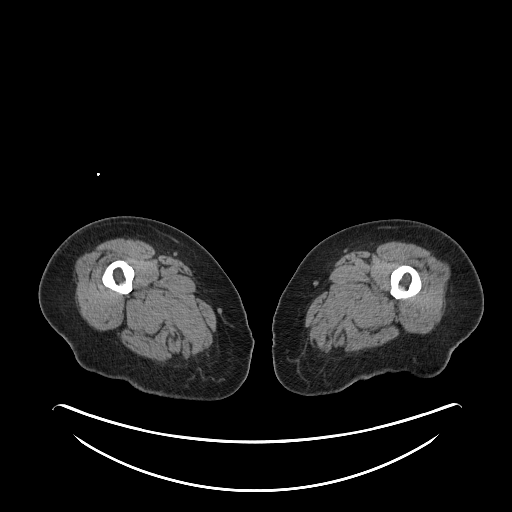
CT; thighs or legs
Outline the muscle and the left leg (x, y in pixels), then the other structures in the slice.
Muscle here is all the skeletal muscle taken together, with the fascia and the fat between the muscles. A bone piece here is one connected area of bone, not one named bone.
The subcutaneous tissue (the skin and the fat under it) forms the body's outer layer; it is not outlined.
{"muscle":[{"outer":[[116,237],[142,240],[181,260],[195,274],[204,287],[210,305],[216,316],[216,331],[213,345],[208,350],[208,354],[196,364],[187,368],[165,368],[156,365],[137,355],[124,345],[97,332],[88,325],[80,315],[73,295],[73,268],[75,260],[93,243]],"hole":[[118,259],[121,259],[122,260],[124,260],[126,261],[133,268],[134,270],[134,277],[132,281],[132,290],[129,293],[127,294],[121,294],[120,293],[118,293],[106,287],[103,284],[102,282],[102,275],[106,267],[111,262],[115,260],[117,260]]},{"outer":[[386,239],[396,239],[427,246],[443,257],[449,265],[451,277],[451,294],[447,309],[439,323],[427,334],[404,334],[378,349],[357,357],[341,360],[322,359],[310,347],[304,334],[303,325],[306,309],[344,250],[356,243]],"hole":[[404,264],[405,265],[410,265],[417,270],[417,271],[419,273],[419,276],[421,280],[421,288],[418,292],[418,293],[411,297],[409,297],[405,299],[396,299],[394,298],[390,294],[390,275],[392,271],[395,268],[396,268],[399,265],[403,265]]}],"left_leg":[[[392,218],[432,225],[463,248],[477,272],[483,290],[483,313],[477,327],[453,350],[446,367],[434,377],[424,379],[405,372],[385,373],[357,381],[333,394],[304,396],[289,391],[277,379],[271,355],[272,319],[282,291],[306,254],[326,237],[352,225]]],"bones":[[[404,264],[405,265],[410,265],[417,270],[417,271],[419,273],[419,276],[421,280],[421,288],[418,292],[418,293],[411,297],[409,297],[405,299],[396,299],[394,298],[390,294],[390,275],[392,271],[395,268],[396,268],[399,265],[403,265]],[[118,259],[121,259],[122,260],[124,260],[126,261],[133,268],[134,270],[134,277],[132,281],[132,290],[129,293],[127,294],[121,294],[120,293],[118,293],[106,287],[103,284],[102,282],[102,275],[106,267],[111,262],[115,260],[117,260]]],"right_leg":[[[120,215],[154,219],[183,231],[213,256],[233,283],[241,298],[254,339],[247,377],[233,394],[215,401],[173,399],[148,394],[124,380],[110,379],[90,372],[78,364],[68,344],[45,319],[38,301],[38,287],[42,273],[53,252],[78,228],[101,218]]]}